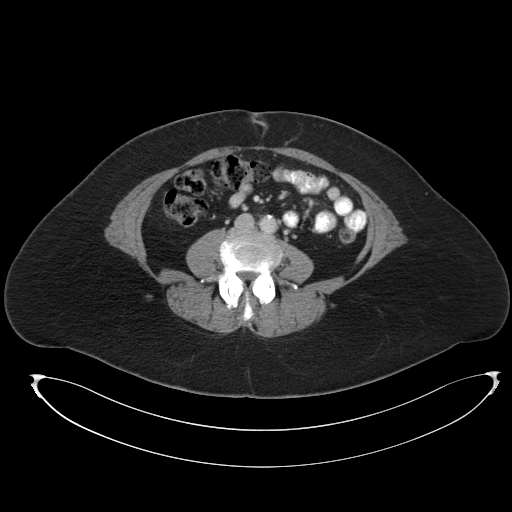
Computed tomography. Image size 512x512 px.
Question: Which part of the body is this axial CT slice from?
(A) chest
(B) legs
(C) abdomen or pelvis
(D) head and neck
Answer: (C) abdomen or pelvis
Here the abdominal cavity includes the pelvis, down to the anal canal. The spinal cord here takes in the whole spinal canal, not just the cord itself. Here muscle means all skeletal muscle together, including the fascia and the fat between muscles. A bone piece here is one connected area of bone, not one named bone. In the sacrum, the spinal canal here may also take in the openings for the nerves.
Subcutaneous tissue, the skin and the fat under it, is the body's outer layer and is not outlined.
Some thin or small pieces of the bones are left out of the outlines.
{"bones":[{"outer":[[231,228],[273,236],[283,251],[280,263],[271,271],[275,296],[270,302],[262,304],[251,293],[249,303],[253,315],[248,320],[242,317],[245,305],[242,294],[237,306],[228,308],[219,293],[217,281],[201,281],[210,276],[215,277],[222,271],[219,246]],"hole":[[243,271],[246,271],[247,272],[254,272],[255,273],[257,273],[258,274],[257,275],[257,276],[253,280],[252,280],[251,281],[250,281],[249,282],[245,282],[244,281],[243,281],[238,276],[238,275],[237,274],[237,273],[238,273],[239,272],[242,272]]}],"abdominal_cavity":[[[248,150],[269,151],[321,168],[358,194],[367,215],[366,239],[344,273],[307,281],[315,267],[301,249],[286,241],[277,241],[267,233],[234,227],[227,231],[211,229],[187,248],[185,263],[191,273],[148,259],[142,224],[160,188],[170,178],[193,166]]],"muscle":[{"outer":[[221,146],[251,146],[252,147],[272,147],[273,148],[276,147],[294,147],[295,148],[298,148],[299,149],[302,149],[308,151],[313,154],[315,154],[317,156],[321,157],[323,159],[327,160],[329,162],[334,164],[336,166],[358,178],[363,183],[372,189],[386,203],[396,217],[404,234],[406,236],[407,241],[405,244],[403,244],[395,248],[392,251],[388,253],[376,264],[368,269],[359,277],[348,284],[334,291],[328,298],[326,311],[324,313],[323,316],[316,321],[314,324],[311,325],[305,330],[299,333],[295,333],[283,339],[266,339],[264,338],[262,335],[255,333],[244,326],[242,326],[238,329],[229,333],[223,333],[222,334],[213,334],[212,333],[201,331],[193,328],[190,325],[181,321],[169,308],[166,300],[166,293],[164,287],[160,283],[157,282],[146,273],[125,253],[121,250],[110,245],[105,239],[103,232],[104,231],[104,228],[110,221],[110,215],[117,203],[133,187],[138,184],[142,180],[160,171],[178,166],[182,163],[187,161],[195,155],[203,151],[205,151],[211,148],[220,147]],"hole":[[248,150],[287,156],[340,178],[358,194],[367,215],[367,231],[363,247],[344,273],[315,281],[307,281],[315,267],[312,259],[296,246],[278,240],[283,255],[271,271],[275,296],[262,304],[251,293],[249,303],[253,315],[244,320],[242,294],[237,306],[228,308],[217,281],[201,281],[222,271],[219,246],[227,231],[211,229],[187,248],[185,263],[191,273],[188,273],[148,259],[142,224],[157,192],[170,178],[200,163]]}],"spinal_cord":[[[243,271],[246,271],[247,272],[254,272],[255,273],[257,273],[258,274],[257,275],[257,276],[253,280],[252,280],[251,281],[250,281],[249,282],[245,282],[244,281],[243,281],[238,276],[238,275],[237,274],[237,273],[238,273],[239,272],[242,272]]],"torso":[[[231,108],[289,110],[327,117],[359,129],[400,153],[477,226],[494,248],[510,290],[502,328],[488,339],[459,343],[361,386],[278,399],[183,391],[68,348],[39,347],[21,339],[4,311],[4,281],[11,261],[39,220],[98,162],[131,137],[182,117]]]}